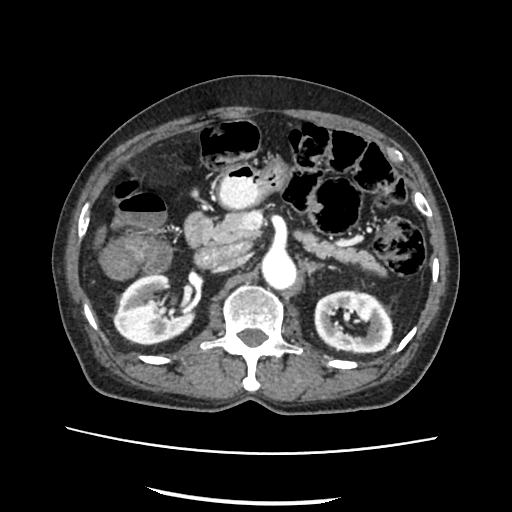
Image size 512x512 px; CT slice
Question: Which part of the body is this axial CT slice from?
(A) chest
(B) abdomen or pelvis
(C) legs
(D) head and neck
Answer: (B) abdomen or pelvis
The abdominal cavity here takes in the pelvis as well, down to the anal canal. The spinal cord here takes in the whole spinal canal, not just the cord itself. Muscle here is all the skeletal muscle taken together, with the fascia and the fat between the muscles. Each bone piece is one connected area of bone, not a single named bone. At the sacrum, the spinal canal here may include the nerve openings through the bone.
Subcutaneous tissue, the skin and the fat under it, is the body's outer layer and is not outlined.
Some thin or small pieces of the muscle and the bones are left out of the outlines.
The spinal cord is outlined by (249, 346) (256, 346) (257, 345) (258, 345) (259, 344) (260, 344) (264, 340) (265, 340) (267, 338) (267, 337) (266, 336) (266, 335) (263, 332) (262, 332) (260, 330) (259, 330) (258, 329) (245, 329) (244, 330) (243, 330) (238, 334) (238, 336) (247, 345) (248, 345). The abdominal cavity is outlined by (355, 360) (373, 359) (399, 342) (417, 321) (431, 282) (425, 217) (386, 146) (281, 113) (250, 114) (156, 141) (104, 186) (91, 207) (79, 274) (98, 324) (119, 349) (177, 350) (205, 327) (209, 303) (248, 282) (274, 292) (285, 311) (293, 303) (302, 337) (314, 347). The torso is outlined by (282, 415) (375, 409) (408, 393) (433, 361) (453, 311) (459, 247) (448, 202) (425, 153) (394, 119) (360, 97) (325, 84) (274, 74) (233, 74) (184, 87) (152, 103) (94, 150) (63, 202) (52, 243) (51, 271) (64, 331) (96, 391) (130, 402) (199, 412) (253, 400). The bones appear in 9 outlined pieces: piece 1: (251, 392) (260, 386) (255, 368) (261, 356) (278, 359) (285, 353) (301, 354) (303, 349) (281, 334) (284, 309) (279, 298) (268, 289) (245, 283) (234, 289) (223, 303) (224, 334) (203, 341) (199, 346) (202, 350) (218, 346) (230, 354) (241, 355) (247, 365) (242, 385) with a hole at (249, 346) (256, 346) (257, 345) (258, 345) (259, 344) (260, 344) (264, 340) (265, 340) (267, 338) (267, 337) (266, 336) (266, 335) (263, 332) (262, 332) (260, 330) (259, 330) (258, 329) (245, 329) (244, 330) (243, 330) (238, 334) (238, 336) (247, 345) (248, 345); piece 2: (79, 241) (80, 241) (82, 239) (87, 229) (87, 226) (89, 222) (89, 215) (90, 214) (90, 207) (91, 205) (88, 201) (86, 201) (83, 205) (81, 209) (81, 212) (80, 213) (79, 218) (78, 219) (78, 226) (77, 227) (77, 234) (78, 235) (78, 239); piece 3: (429, 218) (430, 218) (432, 216) (432, 212) (431, 211) (431, 209) (426, 199) (424, 197) (422, 193) (420, 191) (418, 190) (416, 190) (413, 193) (412, 195) (412, 199) (413, 200) (413, 202) (416, 206) (416, 207) (425, 216); piece 4: (341, 369) (348, 369) (349, 368) (353, 368) (354, 367) (356, 367) (358, 365) (358, 363) (357, 361) (355, 361) (354, 360) (342, 360) (341, 359) (336, 359) (335, 358) (333, 358) (332, 359) (329, 359) (325, 363) (325, 365) (327, 367) (333, 367) (334, 368) (340, 368); piece 5: (152, 364) (165, 364) (166, 363) (169, 363) (171, 361) (171, 359) (170, 358) (168, 358) (167, 357) (164, 357) (163, 356) (161, 356) (160, 355) (150, 355) (149, 354) (138, 354) (137, 355) (138, 358) (139, 358) (144, 362) (146, 362) (147, 363) (151, 363); piece 6: (393, 353) (395, 353) (396, 352) (398, 352) (399, 351) (400, 351) (412, 338) (412, 337) (414, 335) (414, 334) (417, 329) (417, 326) (416, 325) (414, 325) (412, 327) (412, 328) (406, 334) (406, 335) (400, 341) (400, 342) (398, 344) (397, 347) (392, 352); piece 7: (96, 330) (98, 330) (99, 329) (99, 328) (98, 327) (98, 325) (97, 324) (97, 323) (92, 314) (92, 312) (88, 305) (88, 303) (87, 302) (84, 302) (83, 303) (83, 309) (84, 310) (84, 314) (85, 315) (86, 318) (88, 320) (90, 325) (94, 329) (95, 329); piece 8: (433, 283) (435, 283) (437, 281) (437, 279) (438, 278) (438, 274) (439, 273) (439, 263) (438, 262) (438, 259) (436, 257) (434, 257) (433, 258) (433, 260) (432, 261) (432, 282); piece 9: (398, 161) (403, 161) (403, 160) (404, 159) (404, 158) (403, 157) (403, 156) (402, 155) (402, 154) (400, 152) (400, 151) (399, 151) (394, 147) (393, 147) (392, 146) (389, 146) (387, 148) (388, 149) (388, 153) (392, 157) (393, 157) (396, 160) (397, 160). The muscle is outlined by (299, 403) (344, 397) (394, 379) (413, 358) (437, 314) (445, 293) (448, 255) (441, 216) (418, 163) (399, 143) (366, 123) (307, 109) (218, 107) (168, 121) (119, 144) (98, 163) (73, 211) (64, 256) (68, 290) (102, 365) (138, 388) (202, 399) (227, 399) (247, 391) (241, 385) (246, 375) (241, 356) (218, 347) (202, 351) (198, 346) (223, 334) (222, 303) (209, 304) (209, 322) (199, 334) (177, 351) (160, 354) (172, 359) (169, 364) (147, 364) (137, 358) (138, 353) (119, 350) (100, 328) (94, 330) (83, 314) (82, 303) (87, 301) (95, 318) (78, 274) (81, 241) (76, 227) (84, 202) (92, 204) (117, 168) (154, 141) (250, 113) (271, 111) (310, 119) (358, 132) (401, 151) (405, 159) (396, 161) (408, 176) (412, 192) (420, 190) (433, 212) (426, 222) (433, 248) (431, 265) (434, 256) (440, 263) (438, 281) (431, 283) (416, 323) (418, 329) (400, 352) (391, 352) (395, 345) (384, 355) (358, 361) (356, 368) (348, 370) (324, 365) (328, 359) (301, 337) (297, 308) (288, 304) (282, 334) (304, 351) (278, 360) (261, 357) (256, 368) (261, 386) (253, 392) (274, 402).